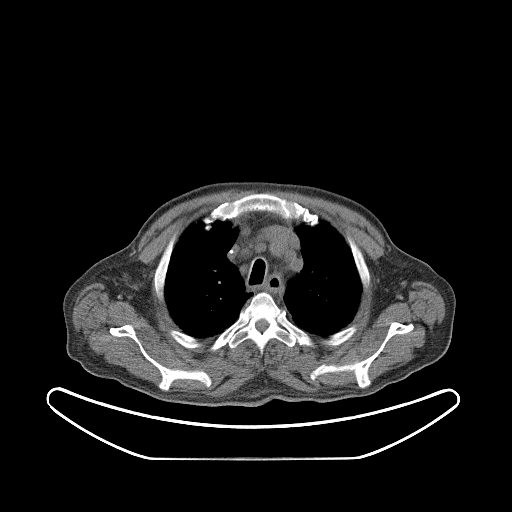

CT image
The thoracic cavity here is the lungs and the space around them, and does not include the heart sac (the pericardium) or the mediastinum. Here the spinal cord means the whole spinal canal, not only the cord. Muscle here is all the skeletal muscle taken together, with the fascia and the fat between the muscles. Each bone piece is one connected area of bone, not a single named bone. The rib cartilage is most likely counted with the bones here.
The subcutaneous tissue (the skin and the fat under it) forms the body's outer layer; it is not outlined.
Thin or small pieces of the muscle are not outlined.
thoracic cavity 1: (198, 220) (201, 220) (206, 231) (209, 231) (216, 221) (229, 221) (231, 227) (237, 230) (235, 239) (225, 256) (236, 266) (243, 280) (245, 292) (252, 294) (229, 326) (218, 335) (200, 339) (182, 331) (175, 323) (164, 295) (166, 275) (174, 247) (184, 230)
thoracic cavity 2: (319, 220) (324, 221) (332, 226) (345, 240) (349, 247) (362, 288) (357, 310) (348, 325) (325, 337) (308, 333) (297, 326) (288, 318) (287, 309) (280, 306) (284, 303) (283, 298) (288, 282) (302, 270) (304, 265) (301, 242) (296, 228) (301, 223) (313, 227) (319, 223)
muscle: (232, 188) (295, 191) (357, 211) (377, 228) (385, 243) (384, 254) (376, 263) (371, 262) (376, 285) (374, 314) (405, 301) (411, 284) (423, 281) (432, 284) (443, 298) (441, 323) (435, 325) (411, 360) (372, 382) (372, 362) (394, 335) (414, 328) (411, 322) (392, 321) (377, 349) (363, 359) (322, 363) (314, 368) (309, 373) (313, 381) (326, 373) (351, 371) (359, 388) (340, 386) (307, 392) (263, 372) (219, 397) (167, 391) (176, 380) (198, 381) (209, 388) (211, 377) (202, 369) (160, 363) (146, 351) (130, 323) (111, 326) (108, 331) (136, 343) (160, 373) (157, 387) (107, 363) (74, 328) (72, 312) (78, 293) (86, 285) (102, 283) (112, 300) (127, 301) (147, 317) (149, 267) (137, 259) (143, 234) (178, 203); inner edge: (254, 192) (298, 203) (360, 249) (370, 281) (348, 324) (356, 331) (342, 343) (323, 344) (323, 336) (311, 333) (312, 347) (271, 338) (261, 354) (251, 339) (211, 351) (217, 335) (201, 338) (195, 348) (170, 335) (180, 328) (154, 285) (170, 238) (220, 204)
torso: (222, 181) (311, 185) (342, 194) (367, 207) (399, 248) (426, 262) (451, 285) (455, 295) (455, 314) (451, 341) (443, 356) (370, 395) (328, 402) (274, 399) (253, 407) (162, 401) (86, 371) (66, 351) (62, 305) (70, 285) (94, 263) (125, 247) (161, 204) (196, 187)
bones 1: (259, 292) (267, 292) (281, 308) (285, 308) (287, 318) (311, 337) (314, 346) (298, 343) (288, 346) (276, 338) (271, 338) (261, 354) (257, 345) (251, 339) (246, 339) (236, 347) (231, 348) (225, 344) (211, 351) (209, 348) (213, 341) (238, 318) (240, 311) (251, 297), around a hole outlined by (261, 319) (263, 319) (264, 320) (265, 320) (267, 322) (267, 323) (268, 324) (268, 325) (267, 326) (267, 327) (262, 332) (261, 332) (260, 331) (259, 331) (256, 328) (256, 322) (257, 321) (258, 321) (259, 320) (260, 320)
bones 2: (254, 192) (268, 192) (289, 201) (296, 202) (307, 208) (311, 213) (316, 214) (318, 216) (318, 223) (311, 226) (303, 222) (283, 218) (278, 214) (269, 211) (250, 211) (230, 220) (216, 220) (211, 224) (210, 229) (206, 230) (202, 218) (214, 208) (224, 202) (231, 202)
bones 3: (394, 321) (402, 324) (411, 323) (413, 328) (406, 333) (394, 334) (386, 342) (383, 349) (368, 368) (370, 385) (360, 388) (354, 372) (351, 370) (326, 372) (318, 375) (313, 380) (311, 379) (310, 373) (322, 364) (343, 365) (369, 357) (378, 349) (387, 334) (390, 324)
bones 4: (125, 324) (130, 324) (133, 327) (145, 351) (157, 362) (171, 369) (202, 370) (210, 377) (210, 386) (207, 387) (198, 380) (176, 379) (168, 390) (160, 389) (158, 384) (161, 380) (161, 373) (142, 354) (137, 343) (128, 336) (115, 336) (110, 333) (111, 327) (120, 327)
bones 5: (174, 233) (177, 234) (177, 240) (173, 247) (170, 256) (170, 259) (168, 263) (168, 266) (165, 275) (165, 282) (163, 288) (164, 302) (161, 302) (159, 300) (156, 294) (155, 286) (154, 285) (154, 274) (158, 262) (170, 238)
bones 6: (347, 234) (353, 239) (357, 246) (360, 249) (363, 255) (364, 260) (367, 265) (367, 268) (368, 269) (369, 276) (370, 277) (370, 281) (366, 291) (364, 292) (363, 292) (362, 284) (358, 274) (358, 271) (357, 270) (357, 268) (356, 267) (350, 247) (345, 239) (345, 236)
bones 7: (353, 324) (356, 325) (356, 331) (348, 339) (347, 339) (342, 343) (341, 343) (338, 345) (327, 345) (326, 344) (323, 344) (321, 342) (322, 341) (322, 340) (324, 338) (325, 338) (334, 333) (336, 333) (337, 332) (340, 331) (342, 329) (343, 329) (348, 326) (350, 326)
bones 8: (171, 329) (180, 330) (182, 332) (190, 336) (192, 336) (193, 337) (195, 337) (199, 339) (201, 341) (202, 343) (202, 345) (199, 347) (196, 347) (195, 348) (187, 348) (181, 345) (178, 342) (177, 342) (170, 335) (169, 333) (169, 331)
spinal cord: (261, 319) (263, 319) (264, 320) (265, 320) (267, 322) (267, 323) (268, 324) (268, 325) (267, 326) (267, 327) (262, 332) (261, 332) (260, 331) (259, 331) (256, 328) (256, 322) (257, 321) (258, 321) (259, 320) (260, 320)
mediastinum: (250, 212) (269, 212) (283, 219) (300, 223) (295, 228) (295, 231) (300, 242) (303, 265) (301, 270) (287, 282) (282, 298) (283, 303) (281, 305) (267, 291) (259, 291) (254, 294) (247, 293) (244, 280) (237, 266) (226, 256) (238, 234) (238, 230) (232, 227) (230, 221)